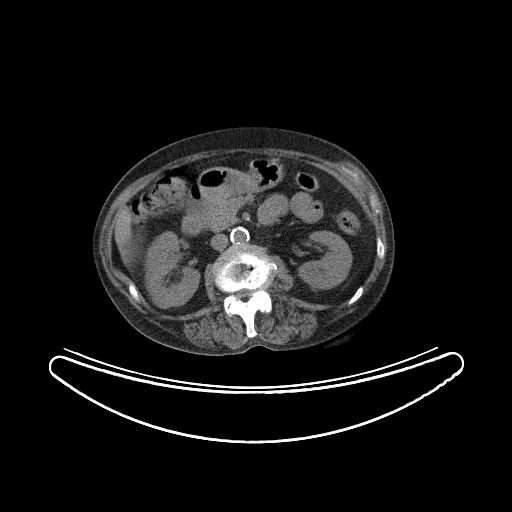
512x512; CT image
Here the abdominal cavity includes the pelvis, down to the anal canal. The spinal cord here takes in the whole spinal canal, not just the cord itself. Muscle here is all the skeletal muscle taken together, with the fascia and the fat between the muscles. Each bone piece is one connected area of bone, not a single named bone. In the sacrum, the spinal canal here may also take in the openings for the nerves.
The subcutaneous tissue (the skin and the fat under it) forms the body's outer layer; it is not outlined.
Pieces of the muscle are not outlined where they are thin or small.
{"torso":[[[244,125],[290,128],[338,143],[365,164],[386,197],[396,245],[391,280],[371,321],[343,345],[296,351],[255,346],[244,353],[225,356],[179,351],[150,340],[129,325],[100,282],[92,259],[91,235],[100,207],[120,177],[141,158],[174,140],[207,130]]],"bones":[{"outer":[[239,244],[263,247],[277,266],[273,279],[266,288],[271,297],[272,308],[267,313],[259,310],[255,313],[254,328],[257,333],[250,338],[246,335],[243,319],[238,314],[227,315],[225,313],[223,300],[227,294],[216,286],[213,271],[218,257],[229,247]],"hole":[[241,289],[248,289],[249,290],[253,290],[253,292],[252,293],[252,294],[251,295],[251,296],[249,298],[248,298],[246,300],[242,300],[241,299],[239,299],[238,298],[237,298],[237,297],[235,295],[235,293],[237,291],[238,291],[239,290],[240,290]]},[[377,236],[378,236],[380,238],[380,239],[381,240],[381,241],[382,242],[382,243],[383,244],[383,245],[384,246],[384,257],[383,258],[382,258],[381,259],[380,258],[379,258],[377,256],[377,255],[376,254],[376,237]],[[359,286],[362,286],[363,287],[363,291],[362,292],[362,293],[361,294],[361,295],[357,300],[356,300],[353,303],[352,303],[350,305],[349,305],[348,304],[348,301],[349,300],[349,299],[354,294],[354,293],[356,291],[356,290],[358,288],[358,287]],[[130,281],[133,283],[133,284],[135,286],[135,287],[136,288],[136,289],[138,292],[138,294],[139,295],[139,301],[136,301],[133,298],[133,297],[131,295],[131,294],[129,291],[129,289],[128,288],[128,286],[129,285],[129,282]],[[370,194],[372,194],[373,195],[373,196],[374,197],[374,198],[375,199],[375,200],[377,202],[377,207],[379,209],[379,212],[378,213],[375,213],[375,212],[372,209],[372,208],[371,207],[371,206],[370,205],[370,200],[369,199],[369,195]],[[345,169],[348,169],[349,170],[350,170],[351,171],[352,171],[353,172],[355,172],[357,174],[357,176],[358,177],[358,180],[356,180],[347,171],[346,171],[345,170]]],"abdominal_cavity":[[[236,152],[293,157],[329,173],[355,198],[373,227],[375,255],[368,275],[348,299],[324,304],[290,294],[295,280],[284,261],[261,245],[239,243],[205,266],[203,283],[209,303],[172,315],[151,307],[114,264],[112,241],[118,213],[137,192],[171,166]]],"muscle":[{"outer":[[265,147],[301,151],[334,161],[347,158],[355,164],[374,187],[383,207],[387,240],[385,263],[351,313],[298,342],[266,342],[256,337],[255,315],[258,311],[267,314],[273,308],[267,288],[278,266],[269,255],[277,255],[293,276],[290,295],[324,305],[348,300],[350,306],[362,295],[375,256],[381,260],[383,259],[385,257],[385,246],[381,238],[375,236],[361,205],[343,184],[329,172],[293,156],[236,151],[171,165],[119,209],[111,241],[112,260],[129,280],[127,288],[136,302],[140,295],[157,312],[172,316],[195,312],[210,303],[204,272],[213,263],[215,286],[226,294],[223,311],[242,319],[250,339],[236,349],[200,347],[145,319],[114,287],[101,263],[100,230],[120,192],[166,163],[213,149]],"holes":[[[370,194],[372,194],[373,195],[373,196],[374,197],[374,198],[375,199],[375,200],[377,202],[377,207],[379,209],[379,212],[378,213],[375,213],[375,212],[372,209],[372,208],[371,207],[371,206],[370,205],[370,200],[369,199],[369,195]],[[345,169],[348,169],[349,170],[350,170],[351,171],[352,171],[353,172],[355,172],[357,174],[357,176],[358,177],[358,180],[356,180],[347,171],[346,171],[345,170]]]}],"spinal_cord":[[[241,289],[248,289],[249,290],[253,290],[253,292],[252,293],[252,294],[251,295],[251,296],[249,298],[248,298],[246,300],[242,300],[241,299],[239,299],[238,298],[237,298],[237,297],[235,295],[235,293],[237,291],[238,291],[239,290],[240,290]]]}